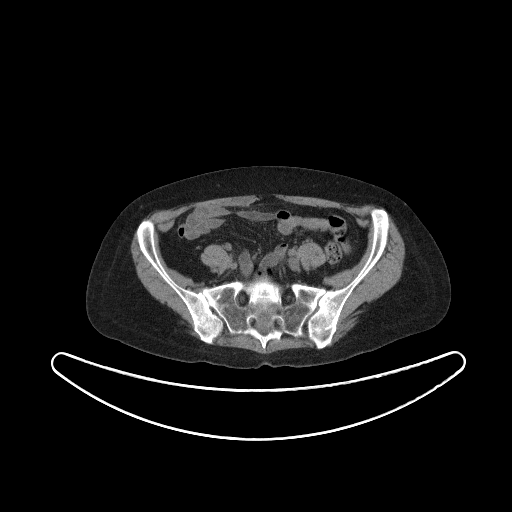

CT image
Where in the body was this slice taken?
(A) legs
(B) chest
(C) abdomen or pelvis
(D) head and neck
Answer: (C) abdomen or pelvis
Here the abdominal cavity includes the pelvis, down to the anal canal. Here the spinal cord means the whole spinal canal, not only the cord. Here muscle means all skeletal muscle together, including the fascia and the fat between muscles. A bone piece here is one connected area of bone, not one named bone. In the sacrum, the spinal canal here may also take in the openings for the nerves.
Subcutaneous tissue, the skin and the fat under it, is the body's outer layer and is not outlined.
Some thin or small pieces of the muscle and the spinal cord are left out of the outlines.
{"bones":[{"outer":[[376,207],[388,214],[386,245],[320,349],[305,328],[303,336],[284,333],[264,349],[226,327],[211,344],[202,341],[136,238],[142,220],[153,222],[160,262],[183,288],[267,278],[282,287],[287,305],[295,300],[292,283],[335,290],[357,275],[371,250]],"holes":[[[262,321],[263,322],[265,322],[270,327],[271,327],[271,329],[267,333],[266,333],[265,334],[263,334],[262,333],[261,333],[257,329],[257,328],[256,327],[256,325],[258,323],[259,323],[260,322],[261,322]],[[242,293],[244,293],[246,295],[246,297],[247,298],[247,301],[246,302],[245,302],[244,303],[240,303],[239,302],[239,296]]]}],"spinal_cord":[[[262,321],[263,322],[265,322],[270,327],[271,327],[271,329],[267,333],[266,333],[265,334],[263,334],[262,333],[261,333],[257,329],[257,328],[256,327],[256,325],[258,323],[259,323],[260,322],[261,322]]],"abdominal_cavity":[{"outer":[[264,197],[304,206],[337,208],[349,213],[358,226],[367,228],[365,248],[353,266],[325,276],[321,286],[292,282],[289,285],[292,295],[283,297],[283,287],[267,277],[208,286],[167,264],[160,247],[160,234],[168,230],[182,213],[199,206],[242,207]],"hole":[[211,244],[217,244],[218,245],[221,245],[223,247],[225,251],[229,255],[229,257],[230,258],[230,260],[229,261],[229,263],[228,265],[220,272],[216,272],[215,271],[212,271],[208,266],[207,266],[202,262],[200,258],[200,256],[203,250],[207,246]]}],"torso":[[[254,165],[299,166],[343,174],[380,186],[405,201],[434,238],[447,265],[451,301],[444,318],[428,330],[378,349],[308,367],[262,365],[237,369],[206,362],[188,363],[144,352],[99,333],[87,318],[86,285],[100,243],[123,208],[138,196],[176,180]]],"muscle":[[[271,193],[317,197],[336,201],[363,202],[364,203],[373,204],[382,207],[379,206],[378,206],[376,206],[373,207],[369,212],[372,226],[372,240],[367,258],[356,275],[347,284],[340,288],[331,289],[323,287],[322,286],[324,278],[343,270],[349,269],[357,264],[364,253],[368,241],[368,228],[358,225],[352,215],[341,208],[304,205],[286,201],[274,196],[264,196],[258,200],[242,206],[199,205],[187,209],[175,218],[172,225],[168,229],[159,234],[159,247],[166,264],[170,268],[191,278],[195,282],[204,282],[207,286],[203,287],[199,291],[195,291],[183,287],[170,276],[162,264],[157,251],[154,222],[150,218],[142,219],[146,215],[155,210],[169,209],[184,203],[203,201],[220,197],[251,194],[260,195]],[[389,214],[392,217],[404,242],[405,257],[402,274],[399,280],[390,289],[367,305],[365,310],[359,316],[357,323],[345,335],[332,345],[328,346],[332,342],[333,336],[337,329],[337,324],[341,312],[347,299],[356,286],[377,263],[385,250],[390,228]],[[135,230],[135,238],[139,250],[160,277],[174,291],[184,303],[192,320],[193,330],[197,334],[199,339],[188,333],[187,327],[181,321],[180,316],[165,304],[159,302],[154,298],[143,286],[138,278],[136,274],[135,266],[133,263],[130,251],[130,244]],[[224,328],[231,335],[243,334],[251,336],[258,340],[264,350],[270,340],[278,341],[284,334],[295,338],[303,337],[305,335],[305,329],[307,337],[313,342],[316,348],[289,348],[271,353],[259,353],[244,348],[214,345],[212,344],[214,340],[221,334]],[[211,244],[217,244],[218,245],[221,245],[223,247],[225,251],[229,255],[229,257],[230,258],[230,260],[229,261],[229,263],[228,265],[220,272],[216,272],[215,271],[212,271],[208,266],[207,266],[202,262],[200,258],[200,256],[203,250],[207,246]],[[308,241],[312,241],[316,244],[317,244],[323,251],[323,253],[325,255],[325,257],[326,258],[325,259],[325,261],[318,267],[316,267],[313,269],[309,269],[307,270],[304,268],[300,261],[300,259],[298,257],[298,248],[304,242],[307,242]]]}